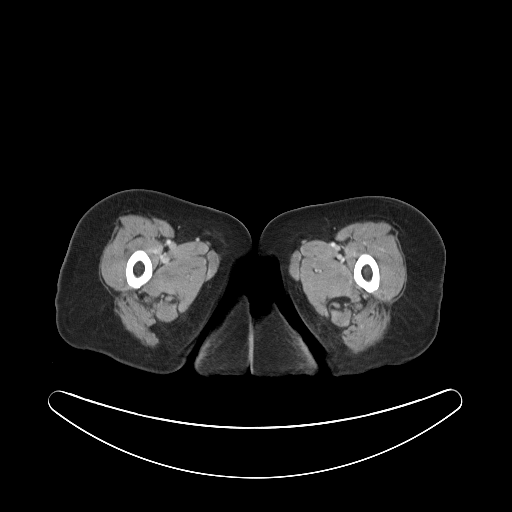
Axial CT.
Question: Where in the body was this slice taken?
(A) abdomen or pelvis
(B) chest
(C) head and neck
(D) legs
Answer: (D) legs
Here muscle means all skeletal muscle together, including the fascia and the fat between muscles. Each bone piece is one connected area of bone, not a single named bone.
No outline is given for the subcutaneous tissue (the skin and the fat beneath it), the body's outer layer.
The left leg appears in 2 outlined pieces: piece 1: 362 195; 383 195; 403 200; 419 209; 438 230; 446 251; 440 320; 434 340; 416 358; 400 365; 385 365; 360 374; 334 375; 330 373; 323 361; 318 342; 288 301; 277 262; 274 260; 264 262; 258 257; 258 240; 266 224; 282 212; piece 2: 272 301; 274 301; 276 303; 290 324; 301 334; 304 341; 318 363; 319 371; 315 375; 313 376; 286 375; 282 377; 256 377; 250 373; 251 371; 251 357; 252 356; 252 338; 253 337; 253 317; 252 314; 254 316; 263 313. The right leg appears in 2 outlined pieces: piece 1: 130 188; 158 190; 224 211; 245 225; 252 240; 250 257; 243 260; 233 270; 219 303; 199 335; 185 364; 178 370; 164 375; 155 375; 127 367; 101 353; 76 349; 60 337; 55 323; 54 300; 59 270; 78 220; 100 199; 114 192; piece 2: 242 293; 245 293; 248 296; 250 301; 250 311; 252 317; 250 371; 249 372; 248 371; 244 375; 241 376; 220 376; 215 375; 210 377; 204 377; 197 374; 192 369; 192 364; 197 354; 200 344; 209 330; 213 328; 221 320; 236 297. The bones appear in 2 outlined pieces: piece 1: 138 249; 141 249; 145 251; 150 258; 151 260; 151 264; 152 265; 152 274; 151 275; 151 277; 140 287; 138 288; 133 288; 127 283; 126 276; 125 275; 125 268; 126 267; 127 260; 130 255; 134 251; piece 2: 363 253; 367 253; 371 255; 375 259; 378 265; 378 267; 379 268; 379 286; 377 289; 376 289; 371 293; 369 292; 367 292; 363 288; 359 286; 356 283; 353 277; 353 269; 354 268; 354 265; 355 264; 355 262; 358 258; 358 257. The muscle appears in 2 outlined pieces: piece 1: 366 220; 382 220; 397 230; 405 258; 407 281; 403 294; 392 306; 389 327; 383 339; 362 353; 352 354; 338 342; 325 325; 320 323; 298 284; 289 274; 288 267; 291 254; 299 247; 303 239; 318 238; 333 233; 350 223 with a hole at 363 253; 367 253; 371 255; 375 259; 378 265; 378 267; 379 268; 379 286; 377 289; 376 289; 371 293; 369 292; 367 292; 363 288; 359 286; 356 283; 353 277; 353 269; 354 268; 354 265; 355 264; 355 262; 358 258; 358 257; piece 2: 132 211; 146 212; 176 225; 192 236; 209 241; 211 247; 220 256; 216 273; 203 284; 185 313; 185 317; 168 324; 161 342; 155 347; 142 345; 124 328; 120 318; 113 310; 112 296; 99 279; 100 257; 111 237; 115 220; 120 214, around a hole outlined by 138 249; 141 249; 145 251; 150 258; 151 260; 151 264; 152 265; 152 274; 151 275; 151 277; 140 287; 138 288; 133 288; 127 283; 126 276; 125 275; 125 268; 126 267; 127 260; 130 255; 134 251.